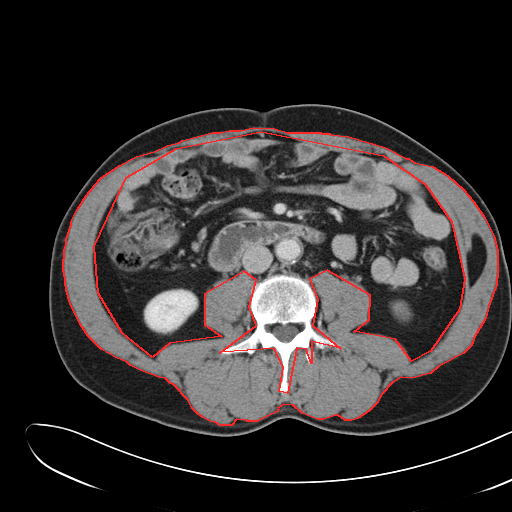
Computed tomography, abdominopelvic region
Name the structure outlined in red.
red: muscle.
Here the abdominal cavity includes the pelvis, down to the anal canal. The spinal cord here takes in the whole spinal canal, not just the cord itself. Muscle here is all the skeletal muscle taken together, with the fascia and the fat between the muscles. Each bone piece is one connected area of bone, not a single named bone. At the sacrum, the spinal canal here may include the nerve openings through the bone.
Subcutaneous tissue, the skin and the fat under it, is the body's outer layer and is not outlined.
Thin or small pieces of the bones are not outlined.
muscle: [[254,127],[274,128],[287,132],[320,132],[321,133],[329,133],[330,134],[348,136],[385,147],[406,158],[408,158],[414,162],[432,166],[447,175],[463,189],[473,201],[484,217],[493,235],[497,250],[497,277],[496,278],[496,284],[488,306],[485,318],[473,338],[472,343],[470,346],[463,353],[438,366],[430,373],[411,378],[401,377],[392,382],[381,394],[376,403],[368,411],[357,418],[351,420],[345,420],[338,415],[335,415],[323,419],[317,419],[302,413],[293,405],[283,404],[277,408],[278,409],[277,411],[257,421],[247,421],[246,420],[236,419],[231,425],[220,425],[215,422],[210,421],[202,417],[196,412],[192,408],[188,400],[173,384],[170,383],[165,378],[159,377],[140,370],[130,365],[127,362],[115,357],[101,349],[88,336],[80,324],[70,303],[66,290],[64,272],[63,271],[63,259],[64,258],[64,250],[66,244],[66,239],[71,224],[71,221],[77,209],[86,195],[100,178],[119,165],[136,156],[154,151],[167,145],[179,142],[182,140],[212,132],[220,132],[229,130],[240,130]], around a hole outlined by [[261,131],[383,155],[425,184],[451,221],[464,278],[459,309],[430,351],[411,361],[395,339],[354,331],[369,319],[370,295],[327,270],[309,279],[317,299],[312,325],[340,348],[311,341],[311,363],[306,349],[296,348],[287,393],[279,391],[283,367],[274,348],[220,352],[256,325],[249,306],[256,280],[244,271],[204,294],[204,324],[221,336],[169,343],[152,357],[122,333],[98,293],[94,246],[126,177],[176,148]]
torso: [[292,104],[339,106],[397,128],[450,164],[485,202],[511,283],[508,343],[487,386],[454,413],[378,435],[337,433],[283,418],[249,433],[214,436],[137,416],[78,384],[53,340],[48,289],[58,226],[84,183],[121,144],[169,119],[211,108],[269,110]]
abdominal cavity: [[261,131],[383,155],[425,184],[451,221],[464,278],[430,351],[411,361],[395,339],[354,331],[369,319],[370,295],[327,270],[313,288],[285,273],[218,279],[203,321],[222,335],[169,343],[155,357],[122,333],[98,293],[94,246],[126,177],[176,148]]
bones: [[276,274],[299,276],[309,283],[317,299],[312,325],[317,333],[340,345],[339,349],[319,349],[311,341],[311,363],[305,357],[306,349],[296,348],[288,361],[287,393],[279,391],[283,367],[274,348],[259,344],[252,354],[220,352],[253,332],[252,287]] with a hole at [[289,323],[291,323],[292,324],[302,324],[303,323],[303,325],[301,329],[299,331],[299,332],[297,333],[289,341],[281,341],[279,340],[271,332],[270,332],[267,329],[266,329],[267,328],[267,325],[269,324],[288,324]]
spinal cord: [[289,323],[291,323],[292,324],[302,324],[303,323],[303,325],[301,329],[299,331],[299,332],[297,333],[289,341],[281,341],[279,340],[271,332],[270,332],[267,329],[266,329],[267,328],[267,325],[269,324],[288,324]]